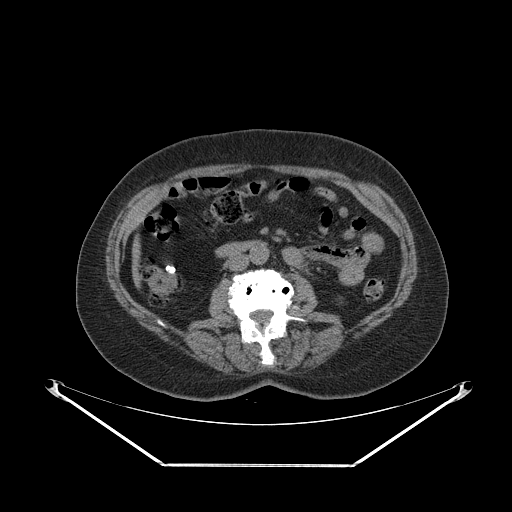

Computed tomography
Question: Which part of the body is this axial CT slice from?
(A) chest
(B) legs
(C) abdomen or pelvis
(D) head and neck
Answer: (C) abdomen or pelvis
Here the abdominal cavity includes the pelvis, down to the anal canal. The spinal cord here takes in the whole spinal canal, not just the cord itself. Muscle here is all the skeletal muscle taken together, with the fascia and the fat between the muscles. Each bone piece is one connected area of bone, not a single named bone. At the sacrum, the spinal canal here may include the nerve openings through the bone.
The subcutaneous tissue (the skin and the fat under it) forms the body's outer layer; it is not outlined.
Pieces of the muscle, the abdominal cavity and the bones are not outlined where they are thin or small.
Outlined structures:
spinal cord: (258, 310) (263, 310) (264, 311) (271, 311) (272, 312) (272, 314) (269, 318) (268, 321) (266, 323) (265, 323) (262, 325) (261, 325) (258, 322) (257, 322) (255, 320) (254, 320) (252, 318) (251, 318) (251, 317) (250, 316) (251, 313) (252, 313) (255, 311) (257, 311)
muscle: (241, 162) (245, 163) (259, 163) (260, 164) (288, 164) (289, 165) (299, 165) (300, 166) (325, 168) (341, 172) (349, 177) (358, 178) (364, 181) (372, 182) (378, 185) (394, 199) (397, 205) (404, 213) (413, 234) (415, 249) (416, 250) (416, 256) (417, 257) (417, 268) (418, 270) (416, 278) (413, 282) (410, 294) (404, 304) (396, 313) (393, 314) (389, 318) (367, 333) (363, 337) (348, 343) (342, 349) (339, 349) (336, 353) (332, 355) (326, 361) (317, 367) (305, 372) (301, 372) (296, 374) (285, 374) (277, 371) (267, 370) (248, 376) (226, 375) (222, 372) (208, 366) (206, 364) (201, 363) (195, 360) (181, 350) (178, 349) (175, 346) (170, 345) (168, 343) (163, 341) (153, 332) (140, 325) (137, 322) (136, 319) (130, 315) (120, 305) (115, 298) (114, 294) (107, 281) (106, 271) (105, 270) (105, 250) (107, 245) (108, 234) (113, 224) (113, 222) (120, 210) (133, 195) (141, 189) (149, 185) (154, 184) (157, 181) (163, 178) (168, 177) (171, 174) (175, 174) (188, 168) (196, 167) (197, 166) (210, 165) (211, 164) (240, 163), around a hole outlined by (254, 168) (347, 189) (401, 250) (391, 297) (347, 327) (315, 309) (305, 277) (285, 274) (298, 306) (286, 312) (306, 321) (269, 341) (272, 365) (261, 363) (258, 342) (241, 340) (231, 279) (211, 290) (210, 316) (181, 329) (158, 324) (120, 273) (130, 234) (175, 183)
abdominal cavity: (254, 168) (345, 188) (387, 225) (401, 250) (391, 297) (347, 327) (339, 315) (315, 309) (318, 299) (305, 277) (296, 272) (283, 276) (272, 267) (261, 267) (222, 278) (211, 290) (210, 316) (195, 319) (184, 329) (136, 301) (120, 272) (128, 238) (142, 218) (181, 180)
bones: (261, 268) (272, 268) (291, 283) (294, 290) (291, 301) (298, 308) (291, 306) (286, 312) (306, 321) (289, 321) (286, 325) (286, 335) (269, 341) (269, 347) (275, 357) (272, 365) (261, 363) (261, 346) (258, 342) (242, 342) (238, 319) (228, 304) (228, 288) (233, 276), around a hole outlined by (258, 310) (263, 310) (264, 311) (271, 311) (272, 312) (272, 314) (269, 318) (268, 321) (266, 323) (265, 323) (262, 325) (261, 325) (258, 322) (257, 322) (255, 320) (254, 320) (252, 318) (251, 318) (251, 317) (250, 316) (251, 313) (252, 313) (255, 311) (257, 311)
torso: (247, 128) (317, 131) (353, 140) (387, 159) (409, 184) (439, 243) (449, 296) (438, 341) (407, 375) (353, 398) (319, 400) (265, 385) (232, 399) (199, 402) (133, 381) (114, 369) (89, 339) (76, 309) (76, 268) (82, 242) (107, 195) (137, 162) (166, 145) (191, 136)